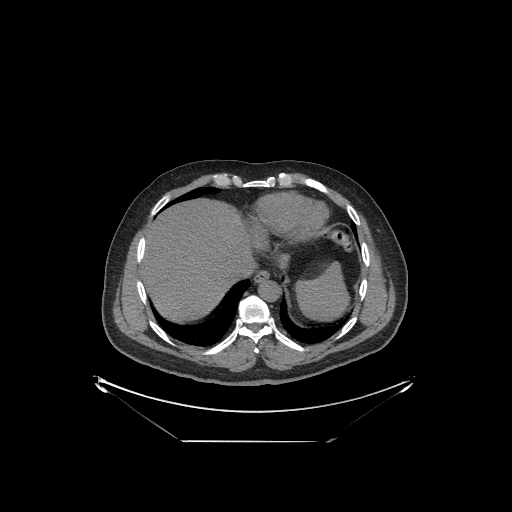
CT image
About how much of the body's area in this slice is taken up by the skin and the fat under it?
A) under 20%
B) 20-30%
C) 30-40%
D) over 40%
B) 20-30%
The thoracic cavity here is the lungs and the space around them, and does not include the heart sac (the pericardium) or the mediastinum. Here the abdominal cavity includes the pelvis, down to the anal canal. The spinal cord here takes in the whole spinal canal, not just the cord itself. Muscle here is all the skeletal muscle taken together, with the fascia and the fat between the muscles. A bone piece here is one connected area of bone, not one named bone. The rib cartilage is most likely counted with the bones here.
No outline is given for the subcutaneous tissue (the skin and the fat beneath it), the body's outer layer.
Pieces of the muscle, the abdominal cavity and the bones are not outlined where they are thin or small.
The abdominal cavity is outlined by 206 194; 242 204; 254 222; 255 243; 267 257; 306 240; 332 220; 350 222; 360 242; 362 262; 350 317; 310 327; 294 323; 287 312; 280 278; 264 260; 229 290; 207 319; 178 324; 162 317; 148 301; 142 281; 148 228; 160 210. The mediastinum appears in 2 outlined pieces: piece 1: 264 261; 267 262; 268 264; 271 264; 281 284; 281 291; 283 294; 283 299; 281 302; 278 314; 275 316; 272 315; 268 304; 256 294; 252 293; 242 298; 244 292; 250 285; 250 280; 248 278; 254 272; 254 270; 260 265; 261 262; piece 2: 297 184; 315 189; 327 196; 345 211; 350 221; 341 221; 334 219; 335 213; 332 204; 320 193; 313 191; 294 188; 270 189; 251 196; 243 203; 238 203; 229 197; 215 194; 220 190; 219 188; 229 188; 232 186; 237 188; 291 188. The muscle appears in 3 outlined pieces: piece 1: 152 206; 145 237; 140 236; 136 244; 141 280; 135 281; 135 287; 142 303; 149 303; 155 320; 150 318; 148 325; 173 347; 178 346; 173 338; 206 348; 200 354; 209 356; 228 347; 238 336; 248 337; 256 345; 262 337; 273 334; 282 344; 302 353; 309 350; 305 345; 320 343; 336 333; 335 340; 345 335; 358 320; 356 315; 351 316; 356 299; 358 295; 362 301; 368 288; 362 266; 370 265; 370 253; 367 243; 359 238; 357 227; 362 223; 356 209; 365 217; 382 265; 390 274; 395 290; 392 316; 367 339; 315 362; 284 370; 271 368; 259 359; 252 367; 235 372; 143 345; 117 327; 112 308; 129 245; piece 2: 210 173; 214 173; 213 173; 209 178; 211 181; 212 185; 202 185; 201 186; 195 187; 192 189; 190 189; 188 191; 186 191; 184 193; 172 199; 171 194; 168 192; 166 192; 169 191; 173 188; 184 185; 193 179; 201 175; 209 174; piece 3: 328 187; 340 193; 344 197; 345 197; 350 202; 350 203; 347 202; 344 205; 344 209; 341 206; 340 206; 337 203; 336 203; 329 197; 328 197; 327 195; 326 195; 329 195; 330 194; 330 190. The pericardium is outlined by 278 189; 294 189; 320 194; 327 199; 331 204; 334 213; 333 219; 329 223; 327 223; 326 225; 318 229; 306 239; 288 248; 285 248; 277 255; 267 256; 261 253; 256 243; 255 222; 248 217; 242 205; 251 197; 256 196; 262 192. The torso is outlined by 205 159; 316 162; 348 175; 372 196; 396 235; 408 271; 406 310; 395 335; 383 348; 304 379; 281 384; 235 386; 201 382; 167 373; 141 364; 113 347; 102 325; 101 296; 105 260; 114 232; 135 196; 158 175; 178 165. The spinal cord is outlined by 252 323; 258 323; 259 324; 260 324; 261 325; 261 327; 257 331; 253 331; 252 330; 251 330; 248 327; 248 325; 249 325; 250 324; 251 324. The bones appear in 10 outlined pieces: piece 1: 252 294; 267 304; 279 329; 295 342; 307 347; 307 351; 302 352; 293 349; 279 341; 274 334; 271 333; 262 336; 256 344; 250 337; 238 335; 234 341; 222 350; 209 355; 201 354; 202 351; 217 344; 230 333; 238 315; 239 301 with a hole at 252 323; 258 323; 259 324; 260 324; 261 325; 261 327; 257 331; 253 331; 252 330; 251 330; 248 327; 248 325; 249 325; 250 324; 251 324; piece 2: 225 172; 229 175; 238 175; 243 181; 265 179; 271 175; 276 176; 280 172; 289 173; 295 178; 301 176; 311 177; 323 183; 328 188; 329 194; 298 182; 294 182; 291 187; 237 187; 232 185; 217 187; 213 185; 211 176; 215 173; piece 3: 150 319; 151 320; 153 320; 155 321; 156 323; 171 338; 171 339; 176 344; 177 346; 173 346; 169 344; 166 341; 165 341; 162 338; 161 338; 151 328; 151 327; 149 325; 149 323; 148 321; piece 4: 166 193; 168 193; 169 194; 170 194; 170 195; 171 196; 171 199; 161 209; 160 209; 155 214; 155 215; 154 215; 153 216; 153 217; 151 217; 150 216; 150 212; 151 211; 153 206; 155 204; 155 203; 162 196; 163 196; piece 5: 352 316; 356 316; 357 317; 357 320; 356 321; 356 322; 354 324; 354 325; 345 334; 344 334; 341 337; 340 337; 338 339; 335 339; 334 338; 335 337; 335 336; 337 334; 337 333; 339 331; 339 330; 342 327; 342 326; piece 6: 142 236; 143 236; 145 238; 145 249; 144 250; 144 255; 143 256; 143 258; 142 259; 141 262; 140 263; 138 263; 137 262; 137 256; 136 255; 136 253; 137 252; 137 244; 138 243; 138 241; 139 240; 140 237; 141 237; piece 7: 347 203; 350 204; 355 209; 355 210; 356 211; 356 212; 357 213; 357 214; 359 217; 359 219; 360 220; 360 222; 361 223; 360 224; 360 225; 357 226; 355 224; 355 223; 350 218; 350 217; 346 212; 346 211; 345 210; 345 205; piece 8: 361 242; 365 242; 366 243; 366 244; 367 245; 367 246; 368 247; 368 252; 369 253; 369 265; 368 266; 365 266; 364 265; 364 264; 363 263; 363 262; 362 261; 362 258; 361 257; 361 246; 360 245; 360 243; piece 9: 137 280; 140 280; 143 284; 143 286; 144 287; 144 289; 145 290; 145 292; 146 293; 146 295; 147 296; 147 303; 146 304; 144 304; 143 303; 143 302; 141 300; 141 299; 139 296; 139 294; 137 291; 137 288; 136 287; 136 281; piece 10: 363 278; 365 278; 367 280; 367 288; 366 289; 366 292; 365 293; 365 295; 364 296; 363 299; 362 300; 360 300; 360 298; 359 297; 359 295; 358 294; 358 289; 359 288; 359 286; 360 285; 360 283; 361 282; 361 280. The thoracic cavity appears in 4 outlined pieces: piece 1: 246 278; 249 280; 249 285; 238 301; 237 315; 234 319; 233 327; 224 338; 209 347; 199 347; 190 345; 171 337; 157 323; 154 317; 151 305; 162 318; 174 324; 199 324; 207 320; 220 307; 220 305; 224 301; 230 290; 238 282; piece 2: 283 300; 285 303; 285 308; 287 315; 294 324; 300 327; 310 328; 312 326; 327 326; 336 324; 342 320; 345 320; 348 318; 348 319; 341 326; 338 331; 326 339; 320 342; 303 345; 286 335; 280 329; 275 320; 274 317; 279 314; piece 3: 202 186; 213 186; 216 187; 219 189; 217 192; 214 193; 206 193; 197 197; 193 197; 189 199; 184 199; 181 201; 178 201; 175 203; 173 203; 171 205; 169 205; 163 209; 163 208; 171 200; 184 194; 186 192; 188 192; 190 190; piece 4: 351 221; 352 221; 354 223; 354 224; 356 226; 356 227; 357 228; 357 234; 358 235; 357 235; 356 236; 355 235; 355 234; 352 231; 352 229; 351 228; 351 226; 350 225; 350 223; 351 222.